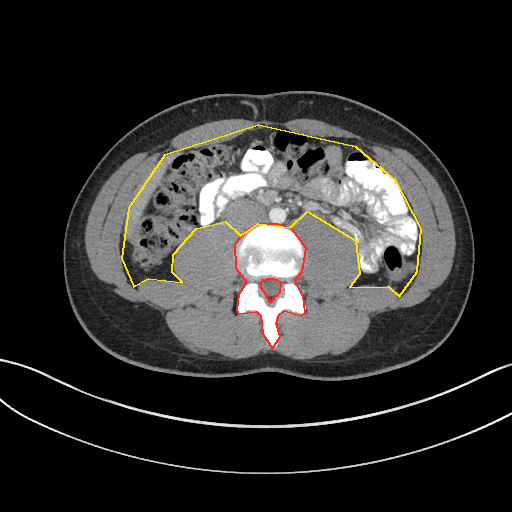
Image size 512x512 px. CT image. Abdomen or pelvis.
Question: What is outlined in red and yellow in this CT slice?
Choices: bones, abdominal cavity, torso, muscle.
Answer: red: bones; yellow: abdominal cavity.
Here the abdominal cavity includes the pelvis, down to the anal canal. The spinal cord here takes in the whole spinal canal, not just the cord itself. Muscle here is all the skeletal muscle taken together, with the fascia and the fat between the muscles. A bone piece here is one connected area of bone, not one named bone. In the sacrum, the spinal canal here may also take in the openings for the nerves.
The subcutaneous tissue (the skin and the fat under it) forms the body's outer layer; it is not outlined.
The bones are outlined by [[272,348],[280,336],[276,323],[279,314],[284,310],[301,315],[305,312],[303,296],[294,279],[302,271],[306,248],[292,229],[278,224],[258,224],[246,230],[234,244],[235,267],[246,282],[238,294],[236,310],[238,313],[256,311],[260,315],[262,333]]; inner edge: [[269,301],[271,301],[271,300],[273,299],[273,298],[276,295],[277,295],[280,291],[281,283],[277,280],[275,280],[274,279],[266,279],[265,280],[262,280],[262,281],[260,282],[260,287],[265,294],[265,296],[267,298],[267,299],[269,300]]. The abdominal cavity is outlined by [[399,296],[417,271],[421,228],[396,181],[356,147],[258,125],[164,155],[128,208],[121,258],[133,286],[148,278],[182,282],[172,272],[173,254],[196,228],[225,221],[240,235],[258,223],[290,227],[307,211],[355,240],[359,274],[349,287],[388,286]]. The muscle is outlined by [[309,361],[325,360],[347,352],[361,340],[377,316],[419,304],[434,292],[449,275],[456,246],[452,215],[439,184],[424,165],[405,149],[378,143],[339,125],[308,117],[295,118],[285,122],[243,118],[212,120],[186,129],[169,140],[126,159],[104,182],[87,217],[84,231],[85,250],[91,269],[97,278],[122,298],[132,302],[143,302],[158,310],[174,337],[183,347],[195,354],[214,359],[241,359],[275,352],[292,359]]; inner edge: [[272,348],[280,336],[279,314],[289,310],[301,315],[306,309],[294,282],[306,248],[290,228],[300,212],[333,223],[355,240],[359,274],[349,287],[388,286],[399,296],[416,274],[422,232],[400,186],[362,150],[298,135],[284,126],[258,125],[218,144],[164,155],[128,208],[121,258],[133,286],[148,278],[182,282],[172,272],[179,244],[196,228],[229,223],[240,236],[233,259],[246,282],[236,310],[260,315],[262,333]]. The spinal cord is outlined by [[269,301],[271,301],[271,300],[273,299],[273,298],[276,295],[277,295],[280,291],[281,283],[277,280],[275,280],[274,279],[266,279],[265,280],[262,280],[262,281],[260,282],[260,287],[265,294],[265,296],[267,298],[267,299],[269,300]]. The torso is outlined by [[323,381],[364,379],[413,365],[437,349],[457,325],[472,285],[474,240],[462,196],[440,159],[418,136],[386,114],[343,96],[309,90],[201,96],[166,108],[127,132],[86,179],[64,233],[65,287],[87,335],[124,362],[164,373],[232,377],[277,372]].